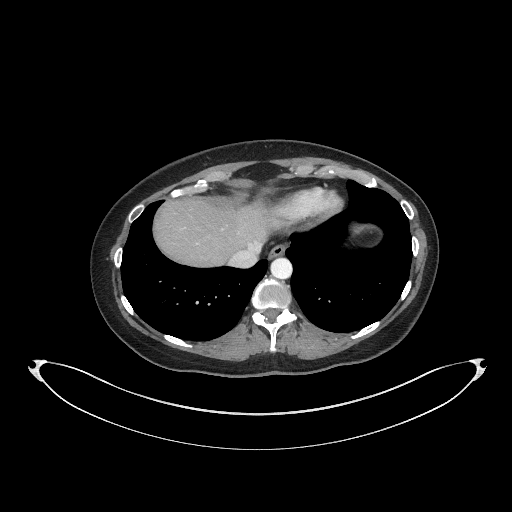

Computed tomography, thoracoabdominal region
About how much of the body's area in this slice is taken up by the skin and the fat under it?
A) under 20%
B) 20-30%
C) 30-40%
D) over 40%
B) 20-30%
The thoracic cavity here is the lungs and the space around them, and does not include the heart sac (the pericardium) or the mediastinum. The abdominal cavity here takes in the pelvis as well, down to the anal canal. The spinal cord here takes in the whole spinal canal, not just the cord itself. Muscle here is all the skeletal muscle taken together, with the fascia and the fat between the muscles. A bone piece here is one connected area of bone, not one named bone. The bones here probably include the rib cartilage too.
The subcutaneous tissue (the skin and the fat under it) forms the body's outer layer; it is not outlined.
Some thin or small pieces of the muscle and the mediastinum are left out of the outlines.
The torso is outlined by 224,377 308,374 370,360 401,342 427,303 439,263 437,228 429,208 419,194 387,169 359,155 321,143 286,138 242,140 186,154 152,171 122,194 101,220 90,249 90,282 100,314 116,336 144,359 175,371. The spinal cord is outlined by 269,321 273,321 275,319 275,318 276,317 276,316 279,313 279,310 278,309 276,309 275,308 268,308 267,309 266,309 265,310 264,310 264,311 263,312 263,313 264,314 264,315 268,319 268,320. The thoracic cavity appears in 2 outlined pieces: piece 1: 336,332 356,331 383,317 399,297 408,278 412,257 408,220 398,202 379,188 367,188 351,179 348,179 346,183 349,196 348,206 308,231 291,234 291,245 286,251 293,265 291,291 294,302 311,322 321,328; inner edge: 349,252 357,251 358,250 362,250 363,249 370,249 375,247 381,241 383,237 383,231 382,229 376,224 374,224 371,222 360,222 357,219 352,219 346,226 346,233 345,234 344,241 343,242 343,246; piece 2: 185,340 207,340 231,329 249,304 254,287 265,273 267,261 262,259 247,269 230,266 194,268 173,262 159,251 151,235 153,214 162,202 158,200 147,206 130,226 120,268 122,286 124,294 142,319 163,333. The abdominal cavity appears in 2 outlined pieces: piece 1: 240,268 253,265 272,235 297,232 266,212 264,198 275,189 315,182 319,178 312,174 296,177 274,165 259,165 243,169 228,180 210,183 211,187 205,192 163,200 154,214 152,235 164,255 194,267 230,265; piece 2: 349,252 357,251 358,250 362,250 363,249 370,249 375,247 381,241 383,237 383,231 382,229 376,224 374,224 371,222 360,222 357,219 352,219 346,226 346,233 345,234 344,241 343,242 343,246. The muscle appears in 3 outlined pieces: piece 1: 231,361 256,354 267,354 268,353 277,353 278,352 301,359 324,357 375,334 391,322 416,296 422,280 428,246 416,207 408,200 414,210 414,218 409,221 410,232 420,244 418,255 411,262 409,278 413,282 412,287 408,295 381,319 381,324 373,331 351,339 349,335 354,332 330,332 317,327 305,317 298,318 278,330 278,351 277,352 276,352 275,353 274,353 271,353 270,352 268,350 270,339 267,330 252,321 250,305 231,330 207,341 187,340 193,345 191,348 168,342 162,333 139,316 130,315 119,299 123,293 120,270 113,263 115,249 123,246 127,237 130,224 126,217 107,258 114,298 122,316 134,328 168,346; piece 2: 146,206 158,199 167,199 170,197 168,193 173,188 192,183 197,179 204,177 209,172 217,169 231,171 232,175 243,168 259,164 274,164 288,170 288,167 291,165 307,163 311,163 316,167 323,164 334,164 346,168 348,167 363,169 354,167 352,165 341,161 312,156 269,158 262,160 253,159 245,161 222,163 202,169 152,193 139,202 142,202; piece 3: 398,201 401,198 403,197 407,199 399,191 398,191 392,185 386,182 378,176 366,170 364,170 373,174 377,178 377,180 379,184 378,187 388,192. The bones appear in 11 outlined pieces: piece 1: 271,352 277,351 275,345 277,330 283,324 304,316 299,311 294,312 291,310 293,299 290,288 287,285 273,278 263,278 257,284 251,296 250,304 254,310 251,317 256,324 268,330 271,339 269,348, around a hole outlined by 269,321 273,321 275,319 275,318 276,317 276,316 279,313 279,310 278,309 276,309 275,308 268,308 267,309 266,309 265,310 264,310 264,311 263,312 263,313 264,314 264,315 268,319 268,320; piece 2: 367,187 377,187 378,184 376,178 373,175 363,170 348,168 346,169 334,165 323,165 316,168 311,164 297,165 289,167 289,171 296,176 308,176 312,173 314,176 317,177 331,177 332,176 346,177 351,178; piece 3: 171,197 176,197 180,195 205,191 210,187 209,186 209,183 210,182 222,181 223,180 228,179 231,176 231,172 225,172 221,170 213,171 209,173 204,178 199,179 192,184 185,185 184,186 173,189 169,193; piece 4: 351,338 356,338 357,337 359,337 360,336 373,330 375,328 376,328 380,324 380,320 379,320 378,321 376,321 375,322 374,322 373,323 372,323 371,324 358,330 353,334 350,335 350,337; piece 5: 130,223 131,223 143,211 143,210 145,208 145,206 142,203 138,203 137,204 136,204 130,210 130,211 129,212 129,213 128,214 128,215 127,216 127,219 128,220 128,221; piece 6: 187,347 191,347 192,346 192,345 190,343 180,338 178,338 177,337 175,337 171,335 168,335 167,334 163,334 163,337 168,341 170,342 172,342 175,344 178,344 179,345 182,345 183,346 186,346; piece 7: 409,220 411,220 413,218 413,210 412,209 410,204 407,201 407,200 406,200 403,198 402,199 401,199 399,201 399,203 400,204 401,207 403,209 403,210 404,211 406,216 408,218 408,219; piece 8: 135,316 136,315 137,315 134,311 133,308 127,300 126,297 123,294 121,294 120,295 120,299 122,302 122,304 124,306 124,307 126,309 126,310 130,314 131,314 132,315 134,315; piece 9: 117,268 119,268 120,267 120,266 121,265 121,259 122,258 122,247 121,247 120,246 119,246 116,249 116,250 115,251 115,252 114,253 114,263 115,264 115,266; piece 10: 413,256 416,256 417,255 417,252 418,251 418,248 419,247 419,244 418,243 418,240 417,239 417,238 414,235 412,235 411,236 411,248 412,249 412,254 413,255; piece 11: 399,301 402,300 407,295 407,294 408,293 408,292 409,291 409,290 411,287 411,284 412,283 412,282 410,279 408,279 407,282 405,284 405,285 404,286 404,287 402,290 402,292 400,295 400,297 398,300. The pericardium is outlined by 298,232 305,231 316,226 326,219 340,212 345,207 346,194 345,190 341,184 330,180 319,180 318,182 315,183 302,184 293,188 282,188 278,190 275,190 265,198 264,205 267,212 283,224 296,230. The mediastinum appears in 2 outlined pieces: piece 1: 290,287 290,277 292,273 292,265 285,255 285,251 290,245 290,241 289,240 289,235 290,234 274,235 272,236 265,244 259,255 257,261 262,258 264,258 268,261 268,267 264,277 273,277 280,281 283,281; piece 2: 346,207 347,206 347,197 348,196 347,195 347,190 345,183 347,179 346,178 340,178 339,177 320,178 320,179 330,179 334,181 337,181 341,183 342,185 344,186 344,188 346,190 346,193 347,194.